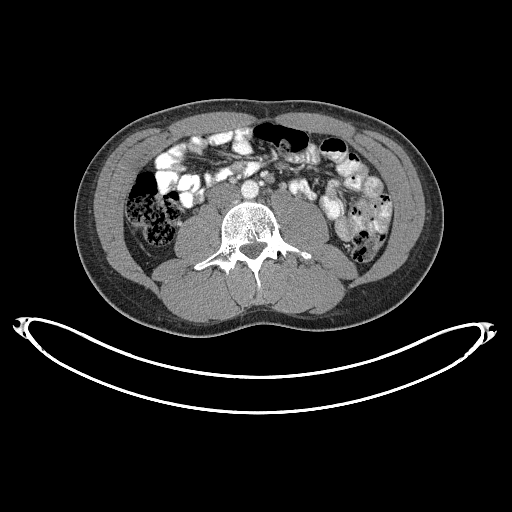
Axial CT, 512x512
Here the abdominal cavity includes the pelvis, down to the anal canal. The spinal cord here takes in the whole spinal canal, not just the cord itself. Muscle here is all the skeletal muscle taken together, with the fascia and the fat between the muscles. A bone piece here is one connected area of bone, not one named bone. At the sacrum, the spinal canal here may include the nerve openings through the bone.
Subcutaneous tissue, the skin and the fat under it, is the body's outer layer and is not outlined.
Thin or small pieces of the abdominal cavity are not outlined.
{"muscle":[{"outer":[[200,324],[219,322],[252,306],[261,305],[291,316],[320,315],[335,307],[349,289],[384,278],[398,269],[407,259],[410,250],[420,235],[426,218],[422,186],[416,169],[403,147],[378,132],[363,130],[331,116],[309,112],[288,112],[274,117],[261,118],[243,112],[207,112],[189,116],[170,124],[138,130],[125,137],[105,160],[97,179],[93,198],[95,227],[104,255],[108,263],[117,272],[149,289],[170,312],[181,319]],"hole":[[258,289],[266,258],[311,258],[281,237],[276,190],[317,207],[328,242],[360,272],[385,248],[393,197],[342,138],[274,121],[195,133],[135,179],[124,238],[146,273],[175,256],[177,230],[210,204],[221,243],[194,269],[216,264],[228,275],[243,265]]}],"torso":[[[196,338],[259,324],[305,331],[343,329],[373,320],[403,302],[433,263],[444,221],[437,180],[413,143],[390,124],[369,114],[328,102],[300,99],[197,100],[146,114],[116,131],[95,153],[78,186],[73,227],[80,261],[100,295],[126,317],[154,329]]],"spinal_cord":[[[252,258],[254,257],[256,257],[260,253],[262,249],[265,246],[265,244],[264,243],[258,243],[257,242],[254,242],[252,244],[247,244],[246,245],[243,245],[241,246],[240,248],[240,250],[244,254]]],"bones":[{"outer":[[258,289],[261,286],[258,271],[266,258],[277,259],[279,254],[284,257],[288,251],[304,259],[311,258],[311,254],[281,237],[279,224],[266,205],[244,201],[224,215],[219,248],[193,267],[200,270],[216,264],[228,275],[232,269],[246,266],[254,274]],"hole":[[252,258],[254,257],[256,257],[260,253],[262,249],[265,246],[265,244],[264,243],[258,243],[257,242],[254,242],[252,244],[247,244],[246,245],[243,245],[241,246],[240,248],[240,250],[244,254]]}],"abdominal_cavity":[[[148,274],[175,256],[177,230],[202,205],[212,205],[222,218],[244,200],[271,209],[269,199],[276,190],[317,207],[328,226],[328,242],[362,272],[385,248],[395,203],[375,166],[338,136],[274,121],[195,133],[174,141],[147,162],[126,196],[124,238]]]}